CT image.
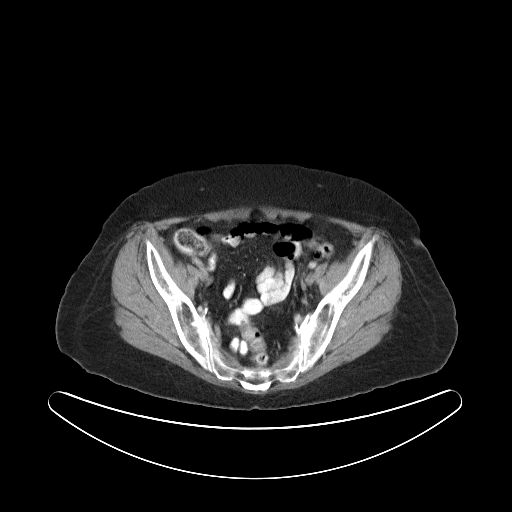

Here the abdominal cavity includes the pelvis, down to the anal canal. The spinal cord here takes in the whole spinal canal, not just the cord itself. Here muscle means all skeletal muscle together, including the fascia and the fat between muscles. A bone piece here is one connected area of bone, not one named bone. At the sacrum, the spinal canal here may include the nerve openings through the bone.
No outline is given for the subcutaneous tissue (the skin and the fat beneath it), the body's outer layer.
The torso is outlined by 235,162 288,162 355,176 382,189 405,207 416,219 421,240 455,306 457,339 442,368 418,378 333,401 283,409 236,410 152,396 89,373 61,353 55,338 55,319 61,296 70,276 116,206 139,188 164,176. The spinal cord is outlined by 250,380 255,380 256,381 261,381 261,382 259,382 258,383 252,383 251,382 250,382 249,381. The bones are outlined by 374,234 378,237 363,283 343,309 324,352 294,381 274,380 266,390 246,389 235,379 219,379 186,351 151,279 146,257 145,240 154,246 171,278 210,323 226,364 281,368 292,357 295,326 343,278 356,254. The muscle appears in 3 outlined pieces: piece 1: 258,205 323,214 365,226 375,226 390,234 401,264 401,296 396,304 397,313 391,321 392,327 377,345 303,386 260,395 207,382 163,358 132,346 121,338 113,318 111,273 117,253 124,242 124,235 133,223 with a hole at 255,210 270,219 321,220 351,233 353,247 342,260 315,268 321,298 378,235 363,283 324,352 294,381 274,380 266,390 219,379 186,351 151,279 145,242 193,303 199,269 176,261 160,233 190,220 241,220; piece 2: 290,348 291,349 292,349 291,350 291,357 290,358 290,359 289,360 288,363 286,365 285,365 284,366 282,366 281,367 272,367 271,366 271,365 276,360 276,359 281,354 282,354 283,353 286,352; piece 3: 219,345 224,350 225,350 232,356 233,356 235,358 236,358 236,359 241,365 240,365 239,366 232,366 231,365 229,365 227,363 226,363 223,359 223,356 222,355 222,353 219,349. The abdominal cavity is outlined by 255,210 270,219 315,219 337,224 353,236 353,247 342,260 325,260 315,268 314,281 320,299 294,326 293,347 281,353 270,366 242,365 218,343 211,323 194,304 199,269 176,261 160,233 190,220 241,220.